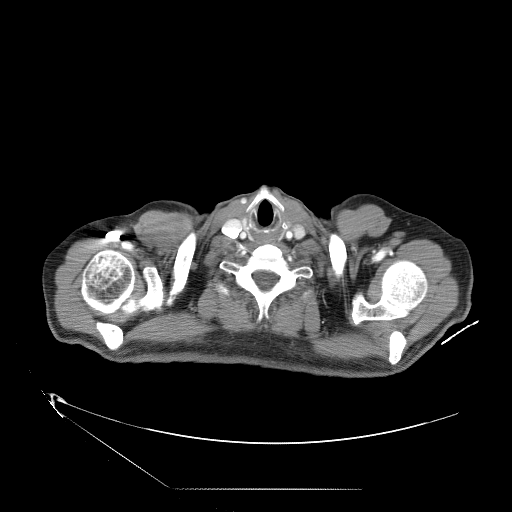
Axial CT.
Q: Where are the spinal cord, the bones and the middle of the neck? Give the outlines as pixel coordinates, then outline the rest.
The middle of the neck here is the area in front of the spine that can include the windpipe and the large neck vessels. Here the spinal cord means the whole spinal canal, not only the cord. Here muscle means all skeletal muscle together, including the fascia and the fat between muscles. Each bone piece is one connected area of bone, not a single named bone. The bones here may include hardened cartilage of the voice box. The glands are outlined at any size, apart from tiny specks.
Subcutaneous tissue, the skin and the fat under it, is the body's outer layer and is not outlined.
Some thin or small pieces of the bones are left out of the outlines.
A: Outlines (x, y in pixels):
spinal cord: [[256,271],[269,271],[270,272],[272,272],[273,273],[276,274],[279,277],[278,278],[277,281],[271,287],[271,288],[270,288],[268,290],[262,290],[257,285],[257,284],[255,282],[255,281],[253,278],[253,276],[252,275],[253,274],[253,273]]
bones 1: [[191,231],[196,234],[196,247],[187,281],[171,305],[164,303],[160,309],[139,309],[129,314],[121,309],[102,313],[83,299],[82,272],[102,250],[121,253],[133,266],[133,298],[146,293],[142,272],[146,266],[154,266],[166,299],[174,280],[178,247]]
bones 2: [[398,260],[409,260],[421,268],[427,280],[427,291],[425,296],[404,317],[395,318],[391,320],[364,320],[355,325],[351,317],[352,299],[354,295],[356,293],[361,293],[368,302],[372,304],[376,303],[380,299],[381,295],[381,278],[383,273],[390,265]]
bones 3: [[267,243],[274,244],[281,250],[291,268],[307,265],[312,269],[313,274],[309,278],[298,278],[292,289],[281,293],[272,301],[268,317],[258,321],[259,309],[253,296],[239,287],[235,283],[235,277],[221,269],[219,264],[223,260],[244,264],[256,247]], around a hole outlined by [[256,271],[269,271],[270,272],[272,272],[273,273],[276,274],[279,277],[278,278],[277,281],[271,287],[271,288],[270,288],[268,290],[262,290],[257,285],[257,284],[255,282],[255,281],[253,278],[253,276],[252,275],[253,274],[253,273]]
bones 4: [[332,232],[336,233],[343,240],[343,242],[345,245],[346,260],[345,261],[344,267],[343,268],[343,274],[342,276],[340,276],[339,277],[337,277],[334,274],[332,270],[331,261],[330,260],[330,257],[329,256],[328,241],[329,240],[329,235]]
bones 5: [[98,321],[100,321],[101,322],[106,322],[107,323],[111,323],[112,324],[115,324],[119,326],[122,329],[123,331],[123,342],[122,344],[119,347],[118,347],[116,349],[110,349],[106,346],[106,344],[104,342],[104,340],[101,334],[96,328],[96,323]]
bones 6: [[393,330],[398,330],[403,334],[406,340],[406,344],[402,351],[402,354],[401,355],[401,357],[400,359],[398,360],[395,364],[392,365],[390,364],[388,361],[388,356],[389,355],[389,349],[388,348],[388,343],[389,342],[389,335],[390,333]]
bones 7: [[262,186],[265,186],[268,189],[268,190],[283,205],[283,207],[284,208],[284,210],[283,211],[281,212],[279,211],[278,208],[273,203],[272,203],[268,199],[266,198],[263,198],[251,209],[249,213],[247,212],[246,208],[248,204],[253,199]]
bones 8: [[219,283],[222,283],[223,284],[224,284],[225,285],[226,285],[230,289],[230,293],[228,295],[225,295],[224,294],[222,294],[221,293],[219,293],[217,291],[217,290],[216,289],[216,286]]
middle of the neck: [[263,199],[266,199],[273,204],[279,212],[284,212],[285,215],[291,221],[303,225],[305,228],[304,237],[296,241],[290,241],[279,245],[269,242],[256,245],[242,240],[235,240],[220,233],[220,228],[226,221],[238,216],[244,211],[249,214],[252,209]]; inner edge: [[243,217],[245,217],[246,218],[246,222],[247,223],[247,226],[249,228],[248,231],[249,232],[249,233],[251,235],[251,236],[253,238],[253,240],[250,240],[248,238],[248,234],[245,231],[245,230],[244,229],[244,228],[242,225],[242,219],[243,218]]
thyroid glands 1: [[243,217],[245,217],[246,218],[246,222],[247,223],[247,226],[245,228],[247,230],[248,230],[248,231],[249,232],[249,233],[253,238],[253,240],[250,240],[248,238],[248,234],[245,231],[245,230],[244,229],[244,228],[242,225],[242,219],[243,218]]
thyroid glands 2: [[286,222],[288,222],[289,223],[289,227],[288,228],[288,229],[287,229],[285,231],[285,232],[284,233],[283,236],[281,238],[281,239],[279,241],[278,241],[278,238],[281,235],[281,234],[282,233],[283,230],[285,230],[288,227],[288,226],[287,225]]
right arm: [[120,214],[122,214],[145,283],[143,295],[140,299],[129,323],[117,343],[116,342],[92,342],[91,341],[57,340],[50,331],[45,314],[45,302],[41,283],[41,275],[42,274],[42,268],[44,260],[48,253],[74,229],[96,219],[112,215],[119,215]]
torso 1: [[356,193],[370,193],[377,195],[392,204],[415,214],[364,265],[375,296],[404,314],[446,329],[446,331],[441,338],[417,361],[400,373],[385,377],[373,378],[315,376],[304,373],[304,371],[325,305],[317,216],[326,217],[329,214],[330,208],[334,204]]
torso 2: [[159,199],[173,199],[186,202],[194,206],[200,212],[203,212],[198,302],[197,363],[116,363],[102,358],[95,352],[79,344],[68,344],[58,341],[117,344],[118,343],[130,323],[144,295],[146,285],[123,214],[130,213],[150,201]]
head and neck: [[261,184],[270,184],[279,187],[284,192],[300,199],[316,215],[323,293],[324,294],[324,305],[303,373],[261,368],[257,366],[241,364],[198,363],[199,302],[200,301],[200,284],[201,283],[204,211],[211,210],[217,203],[232,196],[241,193],[250,192]]
muscle: [[270,189],[296,200],[326,235],[341,209],[373,203],[401,231],[441,246],[457,280],[458,303],[400,365],[320,357],[288,339],[244,332],[117,354],[59,323],[54,273],[76,240],[101,237],[149,209],[188,211],[204,238],[220,208],[256,192],[219,233],[257,246],[244,263],[223,259],[218,267],[252,296],[257,321],[267,319],[274,300],[314,274],[307,264],[291,267],[278,246],[302,240],[306,228],[286,215]]; inner edges: [[191,231],[196,234],[196,247],[187,281],[171,305],[164,303],[160,309],[139,309],[129,314],[121,309],[102,313],[83,299],[82,272],[102,250],[121,253],[133,266],[133,298],[146,293],[142,272],[146,266],[154,266],[166,299],[174,280],[178,247]], then [[398,260],[409,260],[421,268],[427,280],[427,291],[425,296],[404,317],[395,318],[391,320],[364,320],[355,325],[351,317],[352,299],[354,295],[356,293],[361,293],[368,302],[372,304],[376,303],[380,299],[381,295],[381,278],[383,273],[390,265]], then [[332,232],[336,233],[343,240],[343,242],[345,245],[346,260],[345,261],[344,267],[343,268],[343,274],[342,276],[340,276],[339,277],[337,277],[334,274],[332,270],[331,261],[330,260],[330,257],[329,256],[328,241],[329,240],[329,235]], then [[98,321],[100,321],[101,322],[106,322],[107,323],[111,323],[112,324],[115,324],[119,326],[122,329],[123,331],[123,342],[122,344],[119,347],[118,347],[116,349],[110,349],[106,346],[106,344],[104,342],[104,340],[101,334],[96,328],[96,323]], then [[393,330],[398,330],[403,334],[406,340],[406,344],[402,351],[402,354],[401,355],[401,357],[400,359],[398,360],[395,364],[392,365],[390,364],[388,361],[388,356],[389,355],[389,349],[388,348],[388,343],[389,342],[389,335],[390,333]], then [[219,283],[222,283],[223,284],[224,284],[225,285],[226,285],[230,289],[230,293],[228,295],[225,295],[224,294],[222,294],[221,293],[219,293],[217,291],[217,290],[216,289],[216,286]], then [[307,290],[309,290],[311,292],[312,292],[313,293],[313,294],[314,295],[314,298],[311,298],[310,299],[309,299],[308,300],[302,300],[301,299],[301,296],[302,295],[302,294],[303,293],[303,292],[304,291],[306,291]]
left arm: [[416,214],[427,217],[442,227],[446,231],[461,238],[466,244],[470,253],[472,261],[472,266],[473,267],[472,303],[469,312],[465,319],[462,322],[454,324],[447,329],[409,314],[404,313],[376,296],[376,293],[374,291],[368,271],[365,265]]